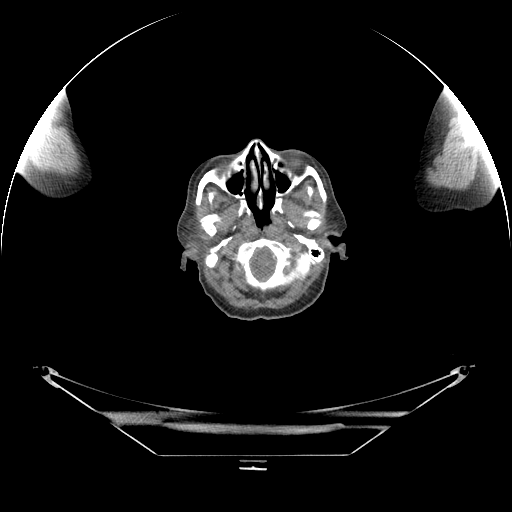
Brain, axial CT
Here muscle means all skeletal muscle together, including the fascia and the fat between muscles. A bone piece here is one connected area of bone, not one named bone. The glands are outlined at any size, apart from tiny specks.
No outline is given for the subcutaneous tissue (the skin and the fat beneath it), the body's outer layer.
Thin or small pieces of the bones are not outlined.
The head is outlined by 253,138 269,148 295,148 315,157 330,177 347,224 341,236 328,238 344,242 348,258 334,252 319,297 283,318 229,317 204,293 196,263 188,260 185,271 179,267 183,248 176,225 192,172 208,158 242,150; inner edges: 248,172 249,192 255,195 255,202 259,210 264,205 263,191 270,190 271,180 273,183 276,181 276,172 285,176 289,182 283,191 280,191 274,184 269,223 265,225 260,226 256,223 247,199 245,191 248,185, then 238,173 240,173 241,174 241,176 242,177 242,184 241,185 241,187 240,188 240,191 239,192 239,193 234,193 233,192 232,192 229,189 229,188 228,187 228,185 227,184 228,183 228,182 233,177 233,176, then 260,147 263,150 263,151 266,154 266,155 267,156 267,157 268,158 268,163 269,164 269,166 268,165 268,164 267,163 267,162 265,160 264,160 263,159 262,159 262,153 261,152 261,150 260,149. The brain is outlined by 263,248 267,248 271,252 272,255 275,258 275,262 274,263 274,267 273,268 273,270 271,272 271,273 264,279 260,279 256,275 255,275 252,271 252,269 250,265 250,260 254,255 256,250 258,249 262,249. The muscle appears in 3 outlined pieces: piece 1: 311,163 325,178 331,208 327,228 321,234 326,259 315,286 308,296 281,309 246,311 229,305 206,282 200,263 200,233 191,215 192,190 198,174 207,165 213,167 205,171 197,183 194,198 196,207 202,202 205,187 212,183 238,200 239,217 246,214 260,227 270,223 270,216 277,212 284,213 283,197 309,176 315,182 323,207 327,205 327,192; inner edges: 294,233 314,238 323,248 324,257 320,262 310,266 309,272 303,280 296,279 285,286 266,291 251,287 245,282 243,271 236,270 230,256 223,253 223,251 233,253 242,242 261,236 305,250 306,247 298,242, then 228,236 232,236 232,238 226,244 225,246 223,246 218,251 218,261 216,265 214,267 212,267 211,268 210,267 208,267 205,264 204,259 205,258 205,256 209,252 209,248 217,244 222,239, then 210,213 216,213 219,216 220,218 220,220 215,223 215,225 216,226 216,232 215,234 212,236 210,236 204,231 204,230 201,227 200,225 200,223 199,222 199,219 201,217 205,215 207,215, then 307,209 312,209 320,213 322,213 323,212 323,217 321,220 322,221 321,222 321,224 318,227 317,227 313,230 310,230 308,229 306,226 306,224 307,223 307,220 308,218 303,215 303,212, then 308,186 310,186 312,188 312,194 311,195 311,196 310,197 309,197 309,196 308,195 308,194 307,193 307,187, then 210,192 213,192 214,193 214,194 213,195 213,199 212,200 212,202 211,203 210,203 209,202 209,197 208,196 209,195 209,193; piece 2: 451,91 458,98 466,110 466,124 463,133 465,143 472,148 477,145 483,138 489,151 489,155 480,173 478,183 472,190 463,192 456,190 450,190 446,188 432,188 428,186 424,181 425,168 433,147 443,109; piece 3: 59,92 66,115 66,122 67,123 67,127 69,130 69,134 76,146 82,162 82,170 81,172 75,177 63,177 62,176 50,177 49,176 44,176 32,168 22,156 22,151 24,148 24,146 36,123 50,102. The left arm is outlined by 444,82 452,89 451,90 461,102 483,137 501,182 501,186 495,192 492,201 487,206 474,211 456,209 440,213 433,213 420,207 414,199 413,175 418,167 418,157 423,143 424,130 432,107 438,94 443,88. The parotid glands appear in 2 outlined pieces: piece 1: 190,216 191,216 194,218 194,219 197,224 197,227 198,228 198,232 199,233 199,237 198,238 198,241 197,240 196,241 189,241 184,237 184,235 183,234 183,233 184,232 184,230 185,229 184,224; piece 2: 332,212 332,213 333,214 333,215 334,216 333,217 334,218 334,219 335,220 335,221 336,222 337,222 337,226 336,227 328,227 328,224 329,223 329,216 330,215 330,214. The bones appear in 6 outlined pieces: piece 1: 254,139 261,140 282,156 298,174 304,165 311,165 326,192 326,205 324,207 315,180 309,175 282,197 283,213 277,211 270,215 275,184 283,192 290,182 276,171 269,190 262,191 263,205 259,209 256,195 250,192 248,171 244,192 253,217 246,213 239,216 239,200 212,182 204,187 201,202 196,206 197,187 204,173 211,168 225,166, around holes outlined by 238,173 240,173 241,174 241,176 242,177 242,184 241,185 241,187 240,188 240,191 239,192 239,193 234,193 233,192 232,192 229,189 229,188 228,187 228,185 227,184 228,183 228,182 233,177 233,176 and by 260,147 263,150 263,151 266,154 266,155 267,156 267,157 268,158 268,163 269,164 269,166 268,165 268,164 267,163 267,162 265,160 264,160 263,159 262,159 262,153 261,152 261,150 260,149; piece 2: 294,233 314,238 323,248 324,257 320,262 310,266 309,272 303,280 296,279 285,286 266,291 251,287 245,282 243,271 236,270 230,256 223,253 223,251 233,253 242,242 261,236 305,250 306,247 298,242, around a hole outlined by 263,248 267,248 271,252 272,255 275,258 275,262 274,263 274,267 273,268 273,270 271,272 271,273 264,279 260,279 256,275 255,275 252,271 252,269 250,265 250,260 254,255 256,250 258,249 262,249; piece 3: 467,111 467,112 469,114 469,115 475,123 479,132 483,137 477,144 476,144 472,147 470,145 469,145 466,143 466,141 465,140 465,138 464,137 464,133 465,132 465,129 466,128 466,125 467,124; piece 4: 228,236 232,236 232,238 226,244 225,246 223,246 218,251 218,261 216,265 214,267 212,267 211,268 210,267 208,267 205,264 204,259 205,258 205,256 209,252 209,248 217,244 222,239; piece 5: 210,213 216,213 219,216 220,218 220,220 215,223 215,225 216,226 216,232 215,234 212,236 210,236 204,231 204,230 201,227 200,225 200,223 199,222 199,219 201,217 205,215 207,215; piece 6: 307,209 312,209 320,213 322,213 323,212 323,217 321,220 322,221 321,222 321,224 318,227 317,227 313,230 310,230 308,229 306,226 306,224 307,223 307,220 308,218 303,215 303,212. The right arm is outlined by 64,86 65,86 65,93 70,102 72,110 74,127 86,148 87,153 91,160 94,174 91,182 79,192 64,198 50,199 40,195 32,189 24,180 22,175 15,168 24,146 36,123 53,98 61,91 60,90.